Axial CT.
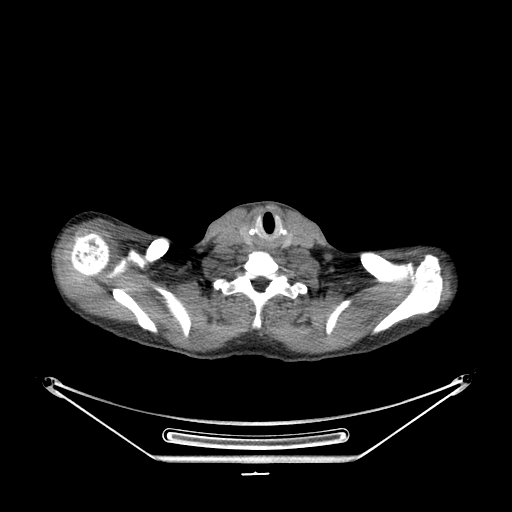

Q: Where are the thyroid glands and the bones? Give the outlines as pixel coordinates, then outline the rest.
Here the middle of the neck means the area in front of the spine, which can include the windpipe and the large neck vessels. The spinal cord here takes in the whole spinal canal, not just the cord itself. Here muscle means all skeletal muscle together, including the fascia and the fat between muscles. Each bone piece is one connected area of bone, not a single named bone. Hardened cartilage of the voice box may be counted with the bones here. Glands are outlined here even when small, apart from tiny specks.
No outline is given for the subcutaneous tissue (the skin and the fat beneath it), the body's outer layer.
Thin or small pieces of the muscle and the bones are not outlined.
A: Outlined structures:
thyroid glands 1: [[244,223],[247,223],[248,224],[248,233],[250,235],[250,236],[251,237],[251,239],[252,240],[251,241],[251,243],[250,243],[249,244],[248,244],[247,243],[245,243],[242,240],[242,239],[240,237],[240,235],[239,234],[239,228],[240,227],[240,226]]
thyroid glands 2: [[287,227],[288,228],[289,228],[291,230],[292,230],[292,233],[294,235],[294,239],[293,240],[293,242],[288,247],[283,247],[283,241],[284,240],[284,239],[286,237],[286,234],[287,233]]
bones 1: [[362,251],[375,252],[396,263],[410,261],[415,266],[428,253],[436,256],[439,260],[443,281],[437,307],[425,314],[414,314],[379,333],[372,334],[373,328],[400,303],[411,290],[412,285],[407,279],[396,282],[379,281],[362,265],[359,257],[359,253]]
bones 2: [[254,250],[268,252],[280,266],[293,272],[288,279],[291,283],[299,281],[308,290],[294,299],[282,294],[270,298],[262,308],[258,329],[252,327],[255,307],[246,295],[241,292],[223,295],[212,286],[217,278],[232,279],[236,272],[233,268],[241,266]] with a hole at [[260,276],[261,276],[262,277],[264,277],[265,278],[266,278],[268,280],[268,283],[267,284],[267,285],[264,288],[264,289],[261,291],[259,291],[258,290],[257,290],[253,286],[253,283],[252,282],[252,281],[253,280],[254,280],[257,277],[259,277]]
bones 3: [[77,231],[80,232],[81,234],[84,234],[89,232],[96,232],[105,240],[109,246],[109,249],[110,250],[110,259],[109,262],[105,268],[95,275],[92,275],[91,276],[83,275],[76,271],[71,265],[68,251],[71,249],[71,245],[73,242],[73,236]]
bones 4: [[162,236],[168,238],[170,245],[167,251],[161,257],[152,262],[148,262],[143,268],[140,268],[137,265],[130,262],[127,265],[125,271],[116,276],[107,277],[107,275],[115,265],[127,254],[130,248],[133,248],[141,254],[143,254],[146,248],[154,239]]
bones 5: [[115,287],[119,287],[120,288],[123,288],[125,289],[126,291],[148,314],[149,317],[156,324],[156,326],[158,329],[156,333],[152,333],[142,328],[138,324],[137,320],[134,314],[127,307],[124,306],[118,302],[113,297],[113,295],[112,294],[112,289]]
bones 6: [[153,285],[157,285],[158,286],[160,286],[173,293],[181,301],[181,302],[185,307],[191,319],[191,325],[190,326],[189,333],[187,337],[185,337],[183,335],[183,333],[181,330],[181,327],[180,325],[169,311],[168,308],[165,304],[163,297],[153,288]]
bones 7: [[345,299],[351,299],[352,300],[351,301],[351,303],[340,313],[337,318],[337,321],[334,328],[332,330],[331,333],[328,335],[326,333],[326,331],[325,330],[325,326],[326,325],[326,321],[327,320],[327,318],[330,313],[334,309],[334,308],[341,301]]
bones 8: [[276,215],[277,215],[280,218],[280,219],[281,220],[281,224],[282,225],[282,227],[283,228],[284,228],[286,230],[286,233],[285,234],[285,235],[284,234],[283,234],[280,232],[280,226],[279,225],[279,224],[278,223],[278,222],[276,220]]
right arm: [[85,210],[96,210],[107,213],[118,218],[118,232],[117,233],[117,237],[116,238],[116,242],[112,258],[111,269],[106,282],[103,287],[90,302],[83,307],[72,312],[62,301],[54,284],[50,269],[50,249],[56,234],[65,222],[76,213]]
spinal cord: [[260,276],[261,276],[262,277],[264,277],[265,278],[266,278],[268,280],[268,283],[267,284],[267,285],[264,288],[264,289],[261,291],[259,291],[258,290],[257,290],[253,286],[253,283],[252,282],[252,281],[253,280],[254,280],[257,277],[259,277]]
muscle 1: [[268,203],[311,222],[336,256],[358,254],[363,268],[379,282],[407,280],[411,285],[372,328],[374,335],[348,347],[300,353],[253,331],[217,349],[186,349],[156,337],[157,324],[125,288],[115,286],[111,294],[133,314],[136,325],[85,312],[64,294],[58,282],[54,252],[73,224],[102,218],[155,238],[143,253],[130,247],[106,275],[113,278],[130,263],[143,269],[171,245],[192,252],[205,243],[211,226],[232,210]]; inner edges: [[266,206],[285,224],[300,226],[313,244],[269,253],[293,272],[291,283],[299,281],[308,290],[294,299],[282,294],[270,298],[260,328],[254,329],[253,302],[241,292],[223,295],[212,283],[232,279],[233,268],[252,251],[226,243],[224,231],[249,224]], then [[77,231],[80,232],[81,234],[84,234],[89,232],[96,232],[105,240],[109,246],[109,249],[110,250],[110,259],[109,262],[105,268],[95,275],[92,275],[91,276],[83,275],[76,271],[71,265],[68,251],[71,249],[71,245],[73,242],[73,236]], then [[153,285],[157,285],[158,286],[160,286],[173,293],[181,301],[181,302],[185,307],[191,319],[191,325],[190,326],[189,333],[187,337],[185,337],[183,335],[183,333],[181,330],[181,327],[180,325],[169,311],[168,308],[165,304],[163,297],[153,288]], then [[345,299],[351,299],[352,300],[351,301],[351,303],[340,313],[337,318],[337,321],[334,328],[332,330],[331,333],[328,335],[326,333],[326,331],[325,330],[325,326],[326,325],[326,321],[327,320],[327,318],[330,313],[334,309],[334,308],[341,301]]
muscle 2: [[418,247],[424,247],[438,252],[443,256],[442,259],[451,266],[451,271],[453,275],[452,293],[442,307],[437,308],[443,292],[444,281],[441,274],[440,260],[436,255],[428,252],[415,265],[410,260],[405,262],[392,261],[376,252],[406,250]]
muscle 3: [[419,314],[422,314],[423,315],[428,314],[425,315],[421,318],[418,318],[417,319],[410,319],[409,320],[406,320],[402,323],[399,323],[398,324],[391,327],[394,324],[395,324],[402,320],[405,320],[414,315],[418,315]]
torso: [[258,200],[276,200],[296,208],[318,224],[332,245],[344,251],[418,242],[445,248],[459,273],[451,307],[429,327],[373,351],[318,361],[284,362],[260,355],[199,359],[142,345],[89,323],[73,312],[90,303],[110,276],[119,219],[189,246],[228,209]]
middle of the neck: [[264,208],[277,212],[285,224],[300,226],[312,237],[312,246],[269,252],[264,249],[249,250],[226,243],[223,239],[224,231],[230,227],[238,227],[241,240],[245,244],[251,244],[253,240],[251,235],[257,233],[258,230],[255,227],[249,229],[249,224]]; inner edge: [[276,215],[277,215],[280,218],[282,227],[286,230],[287,229],[287,227],[289,228],[291,230],[292,230],[292,233],[294,235],[294,239],[293,240],[293,242],[288,247],[283,247],[283,241],[286,236],[284,234],[280,232],[280,226],[278,222],[276,220]]